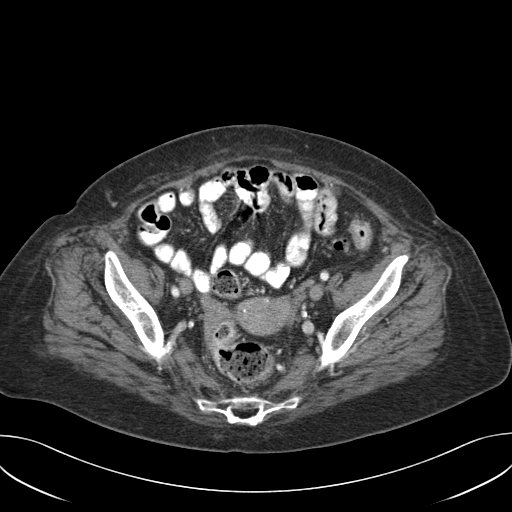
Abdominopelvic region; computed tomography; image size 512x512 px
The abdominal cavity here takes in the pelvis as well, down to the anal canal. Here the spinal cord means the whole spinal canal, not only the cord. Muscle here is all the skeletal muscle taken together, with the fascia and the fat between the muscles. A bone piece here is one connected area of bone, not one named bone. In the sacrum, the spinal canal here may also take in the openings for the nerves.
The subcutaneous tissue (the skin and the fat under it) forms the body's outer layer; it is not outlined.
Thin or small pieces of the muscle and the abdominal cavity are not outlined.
spinal cord: 235,410 237,410 238,411 249,411 250,410 255,410 255,411 253,414 251,414 250,415 249,415 248,416 246,416 245,417 242,417 239,415 237,415 236,414 235,414 235,413 234,412 234,411
torso: 248,123 284,125 345,141 383,159 413,181 437,214 468,239 492,284 511,337 511,368 505,380 414,423 286,453 171,446 105,428 47,402 1,394 0,273 33,231 48,217 69,210 94,180 126,159 194,131
muscle: 233,150 308,159 357,177 389,193 409,219 431,232 452,269 444,340 432,363 400,382 311,415 262,423 271,412 295,409 302,396 274,401 260,394 286,375 303,349 313,352 318,346 322,365 339,362 365,323 395,296 410,258 395,256 361,297 336,313 327,290 330,280 339,273 344,282 383,256 382,224 349,188 263,159 230,161 185,185 161,188 134,208 121,246 164,271 157,311 118,255 112,249 103,253 105,290 141,348 160,359 173,345 186,346 233,394 194,397 199,410 247,425 188,420 45,351 43,310 51,279 44,262 52,241 144,178
bones 1: 402,254 408,254 409,258 403,267 401,282 394,296 364,323 359,330 353,343 339,361 335,363 322,364 319,340 322,336 323,337 324,336 336,315 339,312 342,311 361,298 374,285 386,266 395,257
bones 2: 107,250 112,250 117,255 123,270 129,280 149,302 156,312 164,332 164,339 166,341 169,339 173,339 174,341 171,346 170,352 160,358 157,358 142,348 143,345 131,322 113,302 106,290 103,273 104,253
bones 3: 252,394 257,394 274,402 278,402 293,395 301,396 301,400 295,408 283,408 271,411 264,416 261,423 253,426 239,422 228,423 224,414 216,411 208,413 203,412 194,401 194,398 198,397 217,400 236,395 with a hole at 235,410 237,410 238,411 249,411 250,410 255,410 255,411 253,414 251,414 250,415 249,415 248,416 246,416 245,417 242,417 239,415 237,415 236,414 235,414 235,413 234,412 234,411
abdominal cavity: 243,160 267,161 349,189 379,220 386,244 369,269 356,269 344,281 339,272 332,276 326,290 336,314 318,345 301,349 285,375 259,395 233,395 191,349 165,339 157,312 166,273 122,246 132,213 148,197